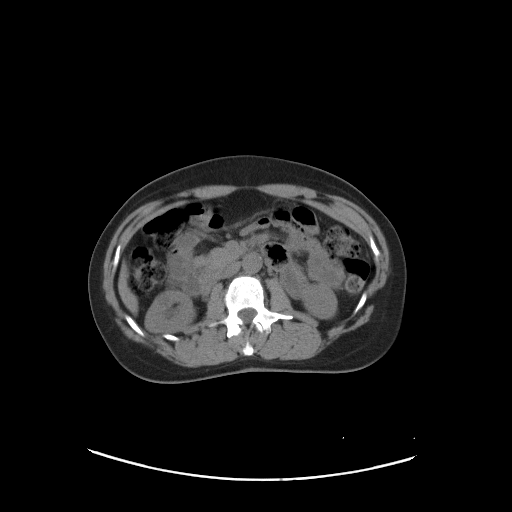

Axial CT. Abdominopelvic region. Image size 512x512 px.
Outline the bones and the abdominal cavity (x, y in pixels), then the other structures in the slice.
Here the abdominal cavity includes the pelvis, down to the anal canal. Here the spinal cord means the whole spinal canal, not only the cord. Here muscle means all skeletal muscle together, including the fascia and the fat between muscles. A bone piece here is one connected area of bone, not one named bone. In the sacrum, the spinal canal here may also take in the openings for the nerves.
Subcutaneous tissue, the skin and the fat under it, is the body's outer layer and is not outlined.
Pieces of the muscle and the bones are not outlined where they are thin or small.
{"bones":[{"outer":[[241,275],[259,279],[264,289],[264,305],[269,310],[289,314],[293,318],[273,322],[269,333],[253,328],[248,332],[243,330],[230,337],[227,336],[227,327],[224,324],[209,326],[210,323],[219,321],[227,315],[228,311],[224,302],[225,290],[233,278]],"hole":[[246,308],[251,308],[252,309],[254,309],[256,311],[256,313],[255,314],[255,315],[252,318],[252,319],[250,321],[250,322],[247,324],[246,324],[244,322],[244,321],[238,316],[238,313],[239,312],[239,311],[240,311],[243,309],[245,309]]},[[125,314],[127,314],[128,315],[129,315],[135,321],[135,322],[139,326],[139,327],[143,331],[143,332],[144,333],[144,335],[143,336],[142,336],[141,335],[140,335],[138,333],[137,333],[129,325],[129,324],[126,321],[126,320],[124,317],[124,315]],[[370,233],[372,235],[372,236],[373,237],[373,239],[374,240],[374,241],[375,242],[375,243],[380,252],[379,257],[378,258],[378,259],[376,261],[375,261],[375,260],[374,259],[374,254],[373,253],[373,252],[369,245],[369,243],[368,242],[368,236]],[[119,244],[120,245],[120,255],[119,256],[119,260],[118,261],[118,263],[117,264],[117,267],[116,269],[113,269],[113,265],[112,264],[112,262],[113,261],[113,258],[114,257],[114,254],[115,253],[115,250],[116,249],[116,247],[117,245]],[[247,341],[248,341],[250,343],[250,344],[253,347],[253,349],[254,350],[254,351],[253,352],[253,354],[252,355],[250,355],[249,356],[248,356],[247,355],[244,355],[242,352],[242,349],[243,348],[243,347],[245,345],[245,344]],[[364,292],[365,292],[366,293],[366,299],[365,300],[365,302],[364,303],[364,304],[362,306],[362,307],[356,313],[355,313],[354,314],[353,313],[353,311],[354,310],[355,307],[357,305],[357,304],[358,303],[358,302],[359,301],[362,294]]],"abdominal_cavity":[[[243,189],[303,202],[348,225],[366,241],[375,273],[352,312],[321,325],[292,306],[275,277],[266,280],[265,289],[258,277],[241,274],[225,289],[217,283],[203,317],[183,332],[160,334],[142,328],[121,307],[114,287],[121,252],[132,236],[172,207]]],"torso":[[[235,154],[279,157],[329,171],[363,192],[392,223],[401,241],[406,260],[404,312],[395,342],[376,362],[365,368],[343,373],[254,371],[185,383],[156,383],[134,376],[113,357],[94,322],[87,289],[89,262],[101,232],[128,197],[146,183],[198,161]]],"spinal_cord":[[[246,308],[251,308],[252,309],[254,309],[256,311],[256,313],[255,314],[255,315],[252,318],[252,319],[250,321],[250,322],[247,324],[246,324],[244,322],[244,321],[238,316],[238,313],[239,312],[239,311],[240,311],[243,309],[245,309]]],"muscle":[{"outer":[[272,183],[295,184],[296,185],[305,186],[314,189],[319,192],[328,193],[329,194],[337,195],[343,197],[361,207],[370,215],[376,222],[381,230],[387,243],[387,247],[390,257],[390,272],[389,273],[389,278],[385,286],[382,296],[373,314],[369,318],[368,321],[363,325],[361,325],[351,331],[343,333],[340,335],[322,350],[319,354],[305,360],[296,360],[295,361],[287,361],[286,362],[274,361],[273,360],[266,360],[263,359],[259,355],[251,356],[254,354],[255,350],[251,343],[247,340],[241,349],[242,354],[244,356],[247,356],[240,357],[227,362],[222,362],[215,365],[204,365],[198,367],[184,367],[171,362],[153,350],[149,349],[132,340],[130,340],[126,337],[117,327],[114,322],[111,315],[109,313],[109,311],[103,298],[102,295],[102,285],[101,284],[101,274],[102,273],[105,254],[109,243],[115,231],[127,215],[145,203],[157,199],[160,199],[172,195],[180,191],[193,188],[194,187],[198,187],[204,185],[218,185],[219,184],[220,185],[221,184],[222,185],[261,185],[262,184],[271,184]],"hole":[[243,189],[303,202],[367,243],[370,233],[380,254],[362,307],[324,326],[295,309],[272,277],[264,305],[293,318],[269,333],[228,337],[224,324],[208,325],[228,313],[217,283],[203,317],[178,340],[137,333],[114,287],[117,245],[121,252],[172,207]]}]}